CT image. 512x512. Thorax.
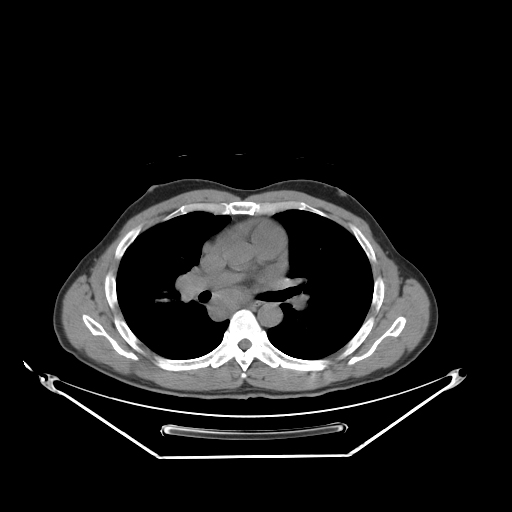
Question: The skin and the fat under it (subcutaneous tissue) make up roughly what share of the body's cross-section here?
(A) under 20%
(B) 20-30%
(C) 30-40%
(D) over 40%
Answer: (A) under 20%
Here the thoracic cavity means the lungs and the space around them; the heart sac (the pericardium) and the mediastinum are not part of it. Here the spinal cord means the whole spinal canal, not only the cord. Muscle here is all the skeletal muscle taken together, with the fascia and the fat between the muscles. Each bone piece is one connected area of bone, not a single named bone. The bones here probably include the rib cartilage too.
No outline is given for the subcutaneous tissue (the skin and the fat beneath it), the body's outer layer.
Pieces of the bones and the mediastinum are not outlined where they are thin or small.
{"pericardium":[[[257,217],[265,217],[276,220],[285,230],[288,242],[288,267],[280,284],[277,287],[275,288],[270,287],[266,289],[256,290],[250,294],[231,286],[212,276],[202,267],[199,262],[202,253],[202,249],[204,245],[211,238],[222,231],[230,228],[244,220]]],"mediastinum":[[[199,263],[212,277],[250,295],[256,291],[277,288],[281,284],[289,265],[288,287],[279,305],[283,315],[281,322],[266,331],[260,325],[255,315],[247,308],[236,310],[229,319],[222,321],[212,320],[207,313],[206,307],[198,300],[198,293],[203,286]],[[273,214],[274,214],[274,218],[276,219],[265,216],[257,216],[256,217],[251,217],[247,219],[244,219],[214,235],[211,237],[203,246],[203,244],[208,238],[219,232],[229,223],[231,219],[230,215],[249,215],[250,216],[254,216],[255,215],[272,215]]],"spinal_cord":[[[243,339],[247,339],[250,342],[250,343],[251,344],[250,345],[250,346],[248,348],[247,348],[246,349],[245,349],[244,350],[243,349],[242,349],[241,348],[240,348],[239,347],[239,346],[238,345],[238,343],[241,340],[242,340]]],"thoracic_cavity":[[[193,211],[229,215],[230,217],[228,223],[202,244],[197,264],[202,283],[197,293],[197,300],[205,307],[212,321],[228,320],[228,325],[220,342],[208,352],[191,358],[169,358],[150,349],[129,327],[118,303],[116,275],[126,250],[143,231],[160,222]],[[291,209],[317,214],[348,230],[358,242],[371,266],[373,289],[370,307],[365,319],[341,348],[322,358],[306,359],[289,355],[276,347],[267,333],[283,320],[284,315],[280,305],[289,287],[290,273],[288,235],[281,223],[275,218],[275,214]]],"torso":[[[182,178],[209,179],[242,189],[305,178],[325,182],[352,195],[371,213],[394,247],[429,282],[438,306],[433,339],[414,361],[382,380],[320,396],[288,399],[178,397],[128,385],[80,362],[61,347],[53,329],[53,307],[60,287],[133,201],[153,184]]],"muscle":[{"outer":[[208,188],[226,191],[237,195],[242,199],[250,195],[258,194],[267,191],[273,191],[274,190],[295,190],[306,193],[314,197],[333,203],[362,218],[368,224],[374,239],[378,243],[383,251],[385,252],[405,273],[415,278],[423,287],[428,296],[430,302],[430,317],[429,318],[429,323],[427,329],[419,343],[411,351],[404,354],[397,361],[389,367],[377,369],[369,374],[361,377],[349,377],[343,380],[334,381],[327,385],[318,387],[314,389],[307,389],[306,390],[299,390],[298,391],[280,391],[279,390],[266,389],[260,387],[255,387],[245,382],[240,386],[233,389],[214,389],[213,390],[204,390],[203,391],[173,389],[172,388],[164,387],[153,382],[150,382],[146,380],[143,380],[139,378],[122,374],[117,371],[115,371],[112,368],[102,363],[99,363],[95,361],[87,356],[83,352],[78,350],[74,347],[68,340],[65,334],[61,320],[62,301],[65,293],[73,282],[86,270],[95,259],[101,255],[106,248],[117,237],[124,224],[131,217],[156,203],[168,199],[178,194],[195,189],[207,189]],"holes":[[[241,200],[302,201],[347,230],[355,225],[369,241],[376,258],[372,277],[383,280],[383,300],[377,312],[369,308],[365,318],[373,316],[373,326],[350,354],[338,359],[343,350],[338,349],[317,371],[271,367],[254,358],[242,378],[234,358],[218,367],[163,369],[145,344],[140,353],[121,336],[113,318],[123,315],[118,304],[110,308],[104,283],[108,271],[117,274],[115,250],[123,236],[139,224],[146,230],[185,204]],[[83,314],[87,314],[97,322],[98,322],[103,327],[105,331],[112,338],[113,338],[124,350],[133,352],[138,357],[138,359],[137,360],[134,360],[131,358],[126,357],[118,353],[113,348],[110,342],[103,335],[94,335],[84,323],[82,319],[82,315]],[[399,316],[403,316],[406,320],[402,330],[397,336],[386,336],[377,345],[374,351],[369,356],[361,360],[359,360],[353,364],[351,364],[350,365],[347,364],[347,362],[353,356],[359,356],[365,353],[371,347],[373,343],[392,324],[394,320]]]}],"bones":[{"outer":[[241,309],[254,315],[270,342],[280,351],[306,360],[326,358],[330,363],[322,370],[299,371],[271,367],[254,358],[244,378],[234,358],[218,367],[209,365],[180,371],[157,366],[155,355],[182,360],[202,356],[214,349],[221,342],[232,315]],"hole":[[243,339],[247,339],[250,342],[250,343],[251,344],[250,345],[250,346],[248,348],[247,348],[246,349],[245,349],[244,350],[243,349],[242,349],[241,348],[240,348],[239,347],[239,346],[238,345],[238,343],[241,340],[242,340]]},[[241,200],[253,201],[257,203],[290,200],[302,201],[328,214],[336,221],[311,211],[291,208],[278,211],[272,214],[255,214],[254,215],[215,214],[204,210],[193,210],[172,217],[165,221],[158,222],[161,218],[185,204],[201,202],[228,203],[232,201]],[[83,314],[87,314],[97,322],[98,322],[103,327],[105,331],[112,338],[113,338],[124,350],[133,352],[138,357],[138,359],[137,360],[134,360],[131,358],[126,357],[118,353],[113,348],[110,342],[103,335],[94,335],[84,323],[82,319],[82,315]],[[399,316],[403,316],[406,320],[402,330],[397,336],[386,336],[377,345],[374,351],[369,356],[361,360],[359,360],[353,364],[351,364],[350,365],[347,364],[347,362],[353,356],[359,356],[365,353],[371,347],[373,343],[392,324],[394,320]],[[370,316],[373,316],[374,317],[374,323],[373,324],[373,326],[371,330],[369,332],[365,339],[357,347],[357,348],[356,348],[350,354],[347,355],[345,357],[341,359],[338,359],[338,356],[343,350],[343,347],[354,336],[354,335],[358,331],[364,321]],[[114,315],[118,315],[119,316],[121,316],[124,319],[128,327],[141,342],[140,344],[140,346],[143,349],[144,351],[144,353],[140,353],[139,352],[137,352],[121,336],[121,335],[117,330],[114,324],[114,322],[113,321],[113,318],[114,317]],[[349,223],[351,223],[355,225],[362,232],[362,233],[369,241],[374,251],[374,253],[375,254],[375,257],[376,258],[376,262],[374,264],[371,265],[364,250],[360,245],[359,242],[357,240],[355,236],[349,230],[348,228],[348,224]],[[139,224],[142,224],[142,231],[128,246],[128,247],[125,250],[120,260],[119,261],[117,260],[115,258],[115,250],[120,240],[123,237],[123,236],[130,229],[135,227]],[[110,270],[112,270],[115,275],[115,290],[116,291],[116,296],[117,297],[117,303],[118,304],[114,307],[114,309],[111,309],[110,308],[109,306],[109,304],[107,301],[106,296],[105,295],[105,285],[104,284],[105,282],[105,276],[108,272],[108,271]],[[378,276],[381,276],[383,280],[383,282],[384,283],[384,294],[383,295],[383,300],[380,306],[380,308],[379,310],[377,312],[376,312],[374,308],[373,307],[371,307],[371,302],[372,301],[372,298],[373,297],[373,290],[374,289],[374,279]]]}